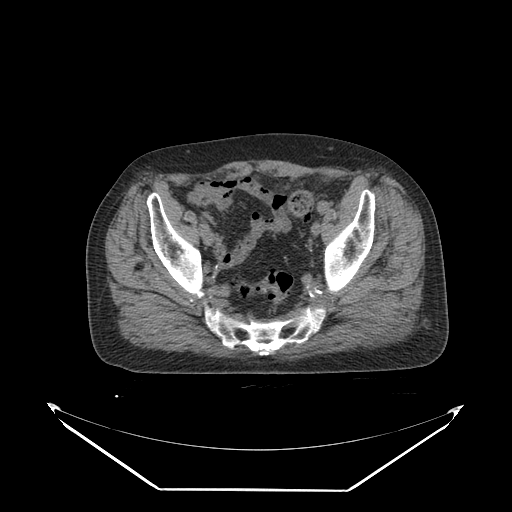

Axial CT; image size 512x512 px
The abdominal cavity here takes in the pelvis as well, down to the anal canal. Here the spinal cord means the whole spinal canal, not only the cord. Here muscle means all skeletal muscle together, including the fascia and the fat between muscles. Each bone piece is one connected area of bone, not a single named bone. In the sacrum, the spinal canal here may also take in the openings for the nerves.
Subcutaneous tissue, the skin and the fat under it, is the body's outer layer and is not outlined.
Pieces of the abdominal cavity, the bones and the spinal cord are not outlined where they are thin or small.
{"torso":[[[267,132],[316,134],[363,145],[391,158],[421,187],[432,206],[438,225],[447,292],[449,334],[445,349],[436,360],[425,366],[383,371],[172,374],[133,372],[107,364],[98,357],[92,346],[88,326],[85,248],[94,213],[121,172],[135,158],[157,148]]],"abdominal_cavity":[[[254,173],[281,178],[319,174],[350,181],[340,200],[329,207],[321,219],[319,231],[325,246],[323,278],[281,316],[247,317],[231,303],[212,293],[204,281],[202,255],[198,248],[200,228],[197,217],[170,189],[170,184],[182,185],[202,179],[225,179]]],"spinal_cord":[[[284,331],[285,331],[286,331],[287,332],[287,333],[287,334],[286,335],[285,335],[284,335],[283,334],[283,333],[283,332]],[[240,332],[241,332],[242,332],[243,333],[243,334],[243,335],[242,336],[241,336],[240,336],[239,335],[239,334],[239,333]]],"muscle":[[[250,159],[308,167],[381,168],[401,184],[421,214],[425,235],[421,316],[405,341],[304,359],[269,355],[287,344],[306,342],[320,330],[326,308],[308,304],[292,317],[257,319],[281,317],[308,295],[321,295],[322,289],[313,289],[320,280],[324,279],[331,294],[341,290],[374,241],[376,196],[366,187],[351,221],[324,245],[322,219],[351,181],[319,173],[281,177],[254,172],[170,183],[172,195],[196,217],[198,247],[173,227],[156,191],[146,197],[151,244],[162,265],[188,293],[201,299],[205,282],[212,294],[248,318],[234,318],[203,301],[203,320],[223,346],[233,350],[243,345],[257,356],[240,359],[146,349],[120,335],[107,280],[104,240],[138,174],[203,173]]],"bones":[[[203,302],[245,322],[248,322],[249,318],[263,321],[292,318],[299,315],[308,305],[311,308],[324,307],[326,315],[319,330],[306,341],[287,343],[268,355],[259,355],[243,344],[237,344],[233,349],[223,345],[221,339],[205,323]],[[366,188],[373,192],[375,196],[373,241],[369,250],[369,252],[361,263],[359,268],[355,274],[348,283],[347,283],[346,285],[341,289],[331,293],[327,289],[325,283],[325,279],[324,278],[324,250],[328,243],[352,221],[358,208],[360,194],[361,192]],[[151,192],[156,192],[160,196],[163,209],[172,227],[184,239],[196,247],[200,252],[201,266],[203,274],[202,290],[204,292],[204,295],[201,298],[198,298],[194,294],[185,290],[171,276],[161,262],[153,247],[150,231],[150,217],[146,202],[147,197]]]}